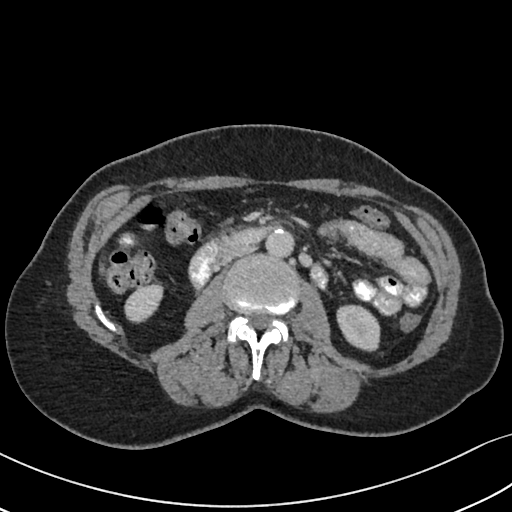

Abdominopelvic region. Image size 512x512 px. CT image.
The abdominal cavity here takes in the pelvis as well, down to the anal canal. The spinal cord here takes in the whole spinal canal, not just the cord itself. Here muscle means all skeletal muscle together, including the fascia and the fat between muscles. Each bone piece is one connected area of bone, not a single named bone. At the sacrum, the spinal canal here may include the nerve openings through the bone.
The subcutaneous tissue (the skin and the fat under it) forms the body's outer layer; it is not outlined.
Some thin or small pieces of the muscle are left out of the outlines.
Outlines:
muscle: [[210,175],[228,175],[249,177],[254,179],[275,179],[284,181],[308,178],[335,178],[373,187],[405,204],[419,207],[431,214],[440,222],[450,236],[461,268],[457,309],[449,338],[440,346],[438,352],[427,360],[405,371],[381,378],[370,379],[369,384],[364,384],[361,386],[355,401],[345,409],[337,412],[318,413],[296,409],[273,397],[264,390],[261,385],[257,387],[250,387],[239,398],[228,405],[220,407],[195,408],[183,406],[174,402],[159,384],[155,373],[133,365],[108,348],[94,341],[73,319],[71,308],[67,303],[65,296],[65,288],[69,281],[67,270],[68,244],[75,225],[90,199],[110,185],[118,183],[127,185],[142,185],[150,181],[168,177],[197,177]] with a hole at [[250,184],[393,213],[437,291],[407,355],[381,367],[344,355],[318,290],[297,273],[288,340],[266,347],[259,380],[248,342],[227,341],[237,313],[222,298],[226,269],[191,302],[184,332],[149,352],[100,321],[93,264],[113,232],[162,194]]
torso: [[232,124],[283,124],[345,137],[374,151],[454,209],[476,240],[503,321],[501,357],[482,389],[439,419],[397,435],[327,432],[254,409],[214,429],[148,449],[110,447],[80,437],[27,399],[8,359],[5,313],[17,277],[58,211],[103,165],[182,134]]
spinal cord: [[263,309],[268,313],[270,314],[273,314],[277,317],[272,320],[271,322],[271,326],[272,327],[271,328],[267,328],[264,330],[257,330],[253,327],[250,326],[248,324],[248,319],[245,316],[245,314],[246,314],[249,311],[253,311],[254,310],[262,310]]
bones 1: [[259,253],[283,262],[295,273],[298,299],[295,306],[282,317],[288,328],[288,340],[271,343],[266,347],[260,379],[254,380],[251,376],[252,352],[248,342],[240,339],[233,343],[227,341],[228,323],[237,313],[223,300],[222,287],[227,272],[236,261]]; inner edge: [[263,309],[268,313],[270,314],[273,314],[277,317],[272,320],[271,322],[271,326],[272,327],[271,328],[267,328],[264,330],[257,330],[253,327],[250,326],[248,324],[248,319],[245,316],[245,314],[246,314],[249,311],[253,311],[254,310],[262,310]]
bones 2: [[96,302],[97,302],[101,306],[105,315],[114,324],[114,325],[116,327],[116,328],[118,331],[118,333],[117,333],[114,331],[112,331],[108,328],[107,328],[100,321],[100,320],[97,317],[97,316],[95,313],[95,310],[94,309],[94,304]]
abdominal cavity: [[250,184],[363,198],[393,213],[426,258],[437,291],[422,337],[407,355],[381,367],[344,355],[332,342],[318,290],[261,252],[239,258],[210,280],[186,310],[185,330],[177,339],[149,352],[130,341],[103,309],[92,279],[96,254],[110,235],[162,194]]